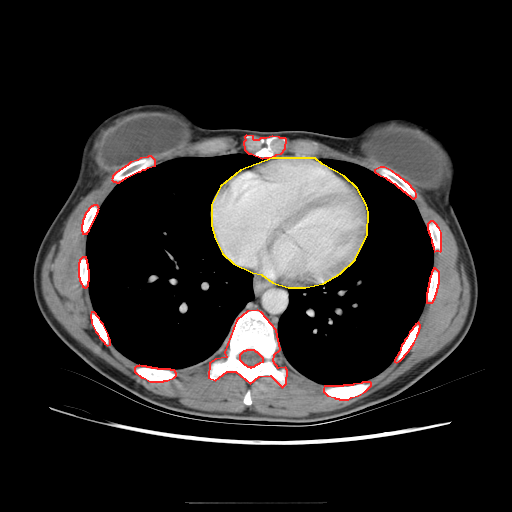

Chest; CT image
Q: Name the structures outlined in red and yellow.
A: red: bones; yellow: pericardium.
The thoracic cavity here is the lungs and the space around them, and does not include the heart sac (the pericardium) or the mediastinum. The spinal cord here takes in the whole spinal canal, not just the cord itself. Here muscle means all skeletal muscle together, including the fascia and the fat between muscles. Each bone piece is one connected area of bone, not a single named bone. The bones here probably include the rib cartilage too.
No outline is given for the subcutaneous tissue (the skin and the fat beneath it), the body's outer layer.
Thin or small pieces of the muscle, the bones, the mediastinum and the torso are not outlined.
The bones appear in 12 outlined pieces: piece 1: 282 387; 286 383; 287 370; 285 367; 278 368; 273 361; 274 354; 280 349; 276 330; 261 312; 257 310; 247 311; 236 320; 224 352; 226 357; 215 359; 209 363; 208 377; 215 380; 227 371; 235 371; 250 383; 259 376; 270 375; inner edge: 250 367; 251 367; 252 366; 254 366; 256 364; 257 364; 258 363; 259 363; 260 362; 263 361; 263 358; 257 352; 256 352; 254 350; 246 350; 245 351; 243 351; 239 355; 239 359; 244 364; 245 364; 247 366; 249 366; piece 2: 262 158; 264 157; 272 157; 276 154; 281 153; 285 148; 286 139; 285 138; 280 138; 279 137; 272 136; 266 138; 260 138; 258 140; 254 140; 253 139; 253 136; 246 135; 244 137; 245 140; 243 142; 244 149; 248 153; 251 153; piece 3: 339 399; 348 399; 351 397; 358 395; 365 391; 371 385; 371 383; 370 382; 362 382; 361 383; 353 384; 352 385; 343 385; 342 386; 324 386; 323 388; 323 391; 327 395; 334 397; 335 398; 338 398; piece 4: 116 182; 119 182; 126 177; 138 171; 140 171; 143 169; 145 169; 148 167; 155 165; 155 160; 151 156; 148 156; 147 157; 140 158; 137 160; 130 162; 127 165; 116 172; 112 176; 112 178; 111 179; 113 181; 115 181; piece 5: 150 381; 163 381; 164 380; 167 380; 174 377; 176 375; 176 373; 174 370; 171 370; 170 369; 158 369; 157 368; 152 368; 151 367; 147 367; 146 366; 141 366; 139 365; 138 366; 136 366; 134 368; 134 371; 141 377; 143 377; piece 6: 412 198; 414 198; 416 196; 416 193; 415 191; 407 182; 406 182; 398 175; 397 175; 392 171; 384 167; 380 167; 374 170; 374 171; 378 174; 385 177; 387 179; 388 179; 390 181; 394 183; 398 187; 399 187; 403 191; 404 191; piece 7: 396 362; 400 360; 404 356; 404 355; 408 351; 414 342; 417 336; 417 334; 419 331; 419 328; 420 327; 420 325; 418 322; 415 324; 415 325; 409 332; 406 338; 404 340; 403 343; 401 345; 399 352; 394 360; 394 361; piece 8: 426 302; 432 302; 435 297; 435 295; 436 294; 436 292; 437 291; 437 288; 438 287; 438 284; 439 283; 439 272; 435 268; 433 268; 433 269; 431 272; 430 277; 429 278; 429 282; 428 283; 428 287; 427 288; 427 292; 426 293; piece 9: 434 251; 436 250; 438 250; 440 251; 441 250; 441 232; 439 228; 437 226; 437 225; 433 221; 430 221; 427 224; 427 229; 428 230; 428 232; 429 233; 429 235; 431 239; 431 242; 432 243; 432 245; 433 246; 433 249; piece 10: 107 345; 110 344; 110 340; 109 339; 108 334; 103 324; 101 322; 99 318; 96 315; 96 314; 94 312; 91 312; 90 314; 91 323; 95 331; 97 333; 99 337; 104 342; 104 343; piece 11: 82 233; 87 233; 87 232; 89 230; 89 229; 97 214; 97 212; 98 211; 98 209; 99 208; 97 205; 93 205; 92 206; 91 206; 85 213; 85 214; 84 215; 84 217; 82 220; 82 224; 81 225; 81 230; 82 231; piece 12: 84 287; 86 287; 88 285; 88 281; 89 280; 89 270; 88 269; 88 264; 87 263; 87 260; 86 259; 86 257; 82 257; 79 260; 79 262; 78 263; 78 276; 79 277; 79 280; 80 281; 80 282; 81 283; 82 286; 83 286. The pericardium is outlined by 288 287; 305 287; 323 283; 340 273; 355 259; 367 234; 368 212; 366 204; 357 188; 344 176; 322 164; 315 158; 272 158; 240 170; 220 186; 211 204; 211 225; 215 239; 222 253; 233 263; 252 272; 261 274; 272 282. The thoracic cavity appears in 2 outlined pieces: piece 1: 171 369; 196 364; 216 350; 224 351; 236 318; 244 312; 239 312; 253 298; 252 275; 232 264; 220 252; 210 225; 210 204; 215 192; 234 173; 261 160; 251 154; 180 157; 138 172; 117 184; 88 232; 90 297; 111 342; 141 365; piece 2: 326 385; 365 381; 389 365; 422 310; 433 257; 426 226; 409 196; 362 166; 329 158; 322 159; 322 162; 344 175; 362 194; 369 212; 368 234; 356 259; 340 274; 323 284; 289 291; 290 303; 277 329; 281 350; 287 361; 305 376. The muscle appears in 3 outlined pieces: piece 1: 292 417; 332 411; 369 395; 434 355; 459 332; 470 285; 447 221; 416 186; 399 175; 416 191; 417 196; 413 199; 425 224; 433 220; 442 232; 442 250; 433 258; 440 283; 434 301; 424 305; 420 331; 409 351; 366 381; 372 385; 362 394; 348 400; 327 396; 325 385; 296 371; 280 350; 274 361; 288 370; 283 388; 270 376; 248 384; 235 372; 210 380; 208 363; 225 357; 219 351; 175 370; 170 380; 150 382; 133 371; 138 364; 98 337; 90 323; 94 311; 88 287; 82 287; 77 276; 87 237; 81 233; 81 220; 116 185; 111 176; 129 162; 116 169; 81 199; 43 262; 41 288; 54 317; 83 346; 156 394; 200 410; 248 408; inner edge: 246 405; 250 405; 251 404; 251 403; 252 402; 252 400; 251 399; 251 395; 250 394; 250 390; 249 389; 248 389; 247 390; 247 391; 246 392; 246 393; 244 395; 244 397; 243 398; 243 402; piece 2: 373 171; 375 168; 380 166; 384 166; 388 168; 382 164; 369 158; 352 156; 349 154; 340 152; 324 144; 310 139; 301 139; 300 138; 299 139; 287 139; 286 148; 282 153; 305 153; 312 156; 321 156; 322 157; 335 158; 357 163; piece 3: 156 164; 168 159; 180 156; 210 156; 234 152; 246 152; 243 149; 242 145; 242 142; 244 140; 244 138; 243 137; 240 140; 238 140; 231 136; 221 136; 220 137; 212 137; 202 139; 194 143; 188 143; 179 148; 152 155; 156 160 with a hole at 204 151; 216 151; 217 150; 218 150; 219 149; 221 149; 222 148; 223 149; 224 148; 226 148; 226 144; 223 142; 221 142; 218 144; 214 144; 213 143; 212 143; 211 144; 210 144; 208 146; 206 146; 205 147; 204 147; 203 148. The breast implant appears in 2 outlined pieces: piece 1: 110 169; 115 169; 128 161; 132 161; 134 159; 140 157; 159 153; 186 144; 191 137; 191 130; 188 122; 186 120; 168 112; 148 112; 147 111; 133 112; 113 121; 106 126; 97 137; 95 144; 96 149; 95 160; 96 163; 99 166; piece 2: 425 190; 434 190; 442 186; 447 174; 447 160; 440 148; 436 145; 433 141; 418 132; 416 132; 408 128; 403 128; 402 127; 381 127; 380 128; 376 128; 369 132; 361 140; 361 151; 362 153; 366 156; 382 163; 412 182; 419 188. The torso is outlined by 282 426; 340 420; 383 406; 445 359; 467 334; 478 281; 451 202; 451 150; 432 130; 403 118; 381 119; 343 137; 204 128; 157 103; 110 115; 88 136; 73 188; 37 250; 33 291; 42 316; 88 365; 150 403; 141 404; 199 420. The mediastinum is outlined by 276 329; 277 328; 278 320; 286 309; 289 303; 288 291; 291 288; 304 288; 288 288; 279 284; 272 283; 266 280; 261 275; 250 272; 253 275; 252 286; 254 292; 254 298; 240 312; 246 311; 250 309; 257 309; 264 313; 268 317. The spinal cord is outlined by 250 367; 251 367; 252 366; 254 366; 256 364; 257 364; 258 363; 259 363; 260 362; 263 361; 263 358; 257 352; 256 352; 254 350; 246 350; 245 351; 243 351; 239 355; 239 359; 244 364; 245 364; 247 366; 249 366.